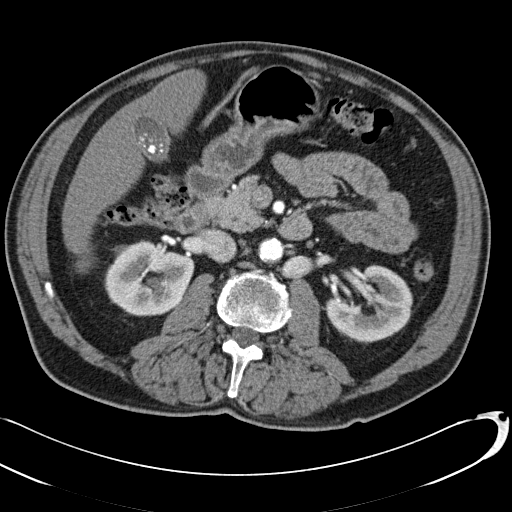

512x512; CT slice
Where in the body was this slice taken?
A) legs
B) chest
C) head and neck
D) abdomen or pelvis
Answer: D) abdomen or pelvis
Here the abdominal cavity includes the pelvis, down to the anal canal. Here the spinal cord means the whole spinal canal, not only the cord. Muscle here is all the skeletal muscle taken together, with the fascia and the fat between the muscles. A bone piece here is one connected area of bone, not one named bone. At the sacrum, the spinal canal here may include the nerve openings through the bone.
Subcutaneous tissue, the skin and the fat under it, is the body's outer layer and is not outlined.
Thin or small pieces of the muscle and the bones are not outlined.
The muscle is outlined by (243, 49) (305, 54) (405, 98) (463, 150) (480, 197) (481, 247) (473, 293) (459, 330) (443, 354) (385, 388) (300, 417) (254, 415) (230, 399) (238, 396) (248, 364) (263, 358) (266, 335) (281, 329) (292, 316) (291, 281) (303, 279) (311, 287) (320, 305) (318, 343) (358, 383) (387, 368) (411, 347) (448, 284) (458, 213) (450, 169) (420, 122) (377, 92) (285, 55) (238, 55) (184, 65) (112, 94) (89, 115) (69, 146) (49, 196) (46, 245) (51, 282) (71, 321) (92, 345) (120, 356) (157, 336) (195, 278) (211, 274) (219, 291) (214, 308) (223, 324) (220, 348) (231, 358) (223, 399) (203, 406) (163, 402) (86, 361) (41, 318) (18, 260) (17, 212) (22, 190) (42, 147) (63, 121) (82, 105) (150, 68); inner edge: (46, 281) (49, 281) (51, 283) (51, 285) (52, 286) (52, 288) (53, 289) (53, 291) (54, 292) (54, 296) (52, 299) (50, 299) (48, 297) (48, 296) (47, 295) (47, 294) (45, 291) (45, 289) (44, 288) (44, 284). The abdominal cavity is outlined by (250, 54) (285, 56) (377, 93) (419, 122) (449, 169) (457, 213) (441, 301) (410, 347) (362, 381) (320, 345) (321, 305) (303, 278) (287, 289) (256, 268) (232, 274) (219, 290) (202, 272) (160, 332) (120, 355) (82, 335) (52, 282) (50, 196) (90, 115) (131, 86). The spinal cord is outlined by (236, 327) (246, 327) (247, 328) (249, 328) (257, 332) (259, 334) (259, 341) (257, 343) (252, 343) (251, 344) (249, 344) (243, 347) (241, 346) (233, 338) (231, 337) (231, 332) (232, 331) (232, 328) (235, 328). The bones are outlined by (256, 269) (272, 272) (286, 286) (288, 305) (292, 310) (291, 316) (281, 328) (265, 335) (261, 345) (262, 358) (251, 360) (247, 364) (238, 386) (237, 396) (230, 398) (226, 393) (230, 383) (232, 358) (221, 348) (224, 324) (216, 312) (215, 302) (221, 287) (229, 277); inner edge: (236, 327) (246, 327) (247, 328) (249, 328) (257, 332) (259, 334) (259, 341) (257, 343) (252, 343) (251, 344) (249, 344) (243, 347) (241, 346) (233, 338) (231, 337) (231, 332) (232, 331) (232, 328) (235, 328). The torso is outlined by (230, 40) (311, 47) (399, 81) (453, 128) (481, 175) (491, 244) (483, 297) (465, 352) (439, 386) (368, 422) (292, 431) (257, 426) (226, 413) (169, 417) (129, 411) (60, 386) (44, 372) (31, 348) (4, 249) (9, 194) (30, 147) (66, 107) (115, 74) (167, 51).